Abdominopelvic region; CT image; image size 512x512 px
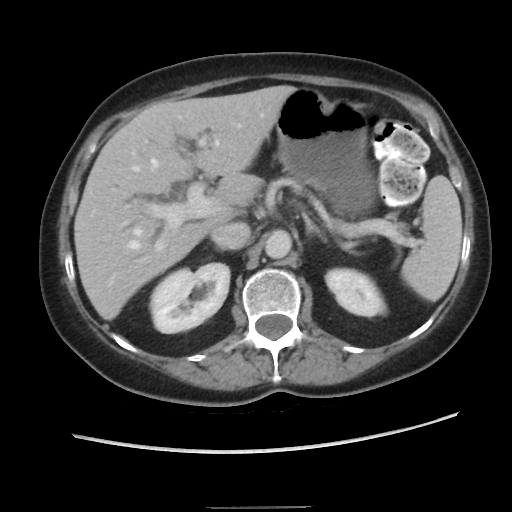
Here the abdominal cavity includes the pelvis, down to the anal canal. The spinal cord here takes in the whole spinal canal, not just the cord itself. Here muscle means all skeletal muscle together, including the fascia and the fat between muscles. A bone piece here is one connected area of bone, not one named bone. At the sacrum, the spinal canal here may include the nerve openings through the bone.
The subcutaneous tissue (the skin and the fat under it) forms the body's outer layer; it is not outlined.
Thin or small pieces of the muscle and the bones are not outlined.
{"bones":[{"outer":[[266,267],[283,269],[295,276],[301,290],[297,325],[312,339],[303,339],[279,351],[277,363],[281,379],[277,382],[272,380],[273,358],[267,349],[239,345],[227,352],[223,350],[225,346],[243,338],[247,332],[248,318],[242,303],[242,289],[252,274]],"hole":[[274,314],[279,314],[280,315],[284,315],[288,317],[291,321],[291,326],[290,328],[285,333],[284,333],[278,338],[273,340],[261,334],[257,330],[256,328],[256,323],[257,321],[261,317],[263,316],[265,316],[266,315],[273,315]]},[[419,104],[422,104],[426,109],[429,110],[431,112],[432,115],[437,121],[438,125],[439,126],[439,137],[438,139],[434,139],[431,136],[429,132],[430,130],[428,127],[428,124],[427,123],[426,117],[424,115],[423,112],[420,109],[418,105]],[[69,251],[70,252],[71,252],[71,253],[72,254],[72,261],[73,262],[73,267],[74,268],[74,272],[75,273],[75,281],[74,282],[74,283],[71,282],[69,280],[69,279],[67,276],[66,271],[65,270],[65,255],[66,254],[66,253]],[[464,233],[465,233],[468,236],[468,237],[469,238],[469,240],[470,241],[470,251],[469,252],[469,255],[468,256],[468,258],[467,259],[467,260],[466,261],[466,262],[464,264],[463,264],[461,262],[461,252],[462,251],[462,241],[463,240],[463,234]],[[432,315],[434,316],[434,319],[431,323],[431,324],[425,330],[424,330],[421,333],[420,333],[413,338],[411,338],[410,339],[407,338],[407,336],[410,333],[411,333],[414,330],[415,330],[418,327],[419,327],[424,322],[425,322],[430,317],[430,316]],[[111,333],[113,333],[113,334],[117,337],[119,338],[122,338],[126,341],[127,341],[130,344],[133,345],[138,350],[138,352],[137,353],[135,352],[133,352],[119,345],[111,337],[110,335]],[[97,134],[100,134],[100,136],[96,142],[96,149],[95,150],[95,151],[93,153],[92,153],[89,156],[89,157],[88,158],[85,159],[84,158],[84,155],[87,150],[88,145],[90,143],[90,142],[92,140],[92,139],[94,137],[94,136]]],"abdominal_cavity":[[[262,78],[373,91],[421,115],[463,207],[454,281],[407,335],[362,347],[318,325],[312,288],[303,277],[266,266],[245,280],[241,292],[234,291],[234,328],[221,340],[177,357],[136,347],[98,323],[76,281],[70,220],[85,166],[120,127],[153,106]]],"muscle":[{"outer":[[281,72],[340,77],[359,82],[365,82],[384,87],[388,87],[416,95],[425,100],[436,110],[446,128],[447,133],[454,147],[454,149],[460,159],[469,183],[470,191],[473,197],[473,206],[474,207],[474,244],[473,245],[470,266],[468,270],[468,273],[465,278],[464,284],[461,287],[453,305],[441,322],[427,336],[413,345],[391,356],[387,360],[380,364],[378,364],[373,368],[369,369],[359,376],[352,378],[347,381],[330,385],[301,385],[291,383],[274,384],[271,382],[266,382],[250,386],[240,390],[234,390],[233,391],[214,390],[194,386],[182,382],[176,378],[171,377],[141,362],[137,362],[135,360],[117,352],[105,344],[96,336],[78,311],[77,307],[74,304],[62,283],[60,274],[60,268],[59,267],[59,257],[58,256],[58,230],[59,229],[58,227],[58,219],[67,178],[77,153],[91,131],[107,117],[118,111],[130,107],[145,99],[151,98],[170,91],[177,90],[185,86],[195,85],[203,82],[207,82],[227,77],[234,77],[242,75],[254,75],[255,74],[267,74],[268,73],[280,73]],"holes":[[[262,78],[377,92],[413,109],[426,124],[418,105],[422,104],[438,123],[439,137],[433,140],[448,171],[455,166],[460,175],[463,232],[470,241],[468,258],[464,264],[459,263],[449,291],[431,314],[431,324],[413,338],[406,335],[366,347],[360,353],[342,350],[350,344],[313,319],[312,288],[301,276],[297,325],[312,339],[279,351],[281,379],[277,382],[272,380],[273,358],[267,349],[239,345],[223,350],[248,330],[238,288],[230,308],[233,330],[202,349],[199,353],[205,358],[190,361],[138,347],[136,353],[119,345],[112,332],[90,313],[77,282],[71,282],[65,270],[65,255],[72,251],[69,190],[73,186],[78,195],[87,162],[108,138],[134,116],[158,104]],[[97,134],[100,134],[100,136],[96,142],[96,149],[95,150],[95,151],[93,153],[92,153],[89,156],[89,157],[88,158],[85,159],[84,158],[84,155],[87,150],[88,145],[90,143],[90,142],[92,140],[92,139],[94,137],[94,136]]]}],"torso":[[[266,51],[369,60],[411,77],[438,100],[472,155],[488,200],[492,265],[483,301],[461,337],[433,364],[359,393],[304,397],[279,391],[249,403],[216,407],[128,391],[80,358],[47,315],[39,286],[38,239],[49,188],[89,115],[123,84],[193,58]]],"spinal_cord":[[[274,314],[279,314],[280,315],[284,315],[288,317],[291,321],[291,326],[290,328],[285,333],[284,333],[278,338],[273,340],[261,334],[257,330],[256,328],[256,323],[257,321],[261,317],[263,316],[265,316],[266,315],[273,315]]]}